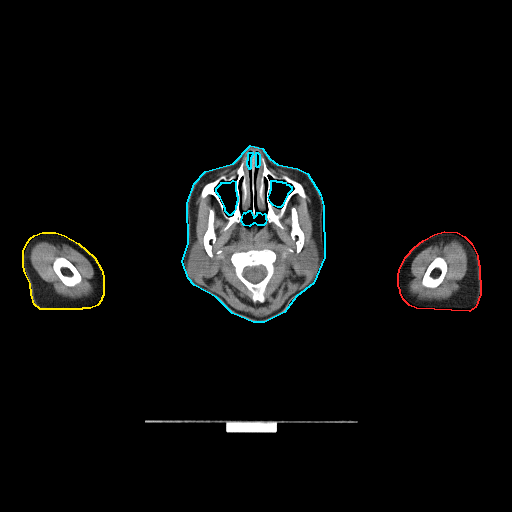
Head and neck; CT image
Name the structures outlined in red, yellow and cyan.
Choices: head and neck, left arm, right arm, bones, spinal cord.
red: left arm; yellow: right arm; cyan: head and neck.
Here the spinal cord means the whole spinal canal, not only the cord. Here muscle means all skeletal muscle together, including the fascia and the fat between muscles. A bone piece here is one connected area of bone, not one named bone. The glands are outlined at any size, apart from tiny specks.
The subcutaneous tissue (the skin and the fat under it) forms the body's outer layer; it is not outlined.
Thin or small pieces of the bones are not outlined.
{"left_arm":[[[444,231],[457,232],[464,236],[471,243],[477,255],[478,264],[479,265],[480,294],[475,307],[469,311],[416,308],[409,305],[404,300],[400,293],[400,290],[398,285],[398,274],[400,267],[406,256],[414,247],[423,240],[434,234]]],"right_arm":[[[42,232],[55,232],[64,235],[78,243],[94,257],[101,269],[103,276],[103,295],[101,298],[101,300],[97,305],[90,308],[82,308],[81,309],[40,309],[34,304],[31,294],[30,283],[25,273],[23,266],[23,251],[27,242],[30,238],[34,235]]],"head_and_neck":[{"outer":[[250,145],[262,148],[269,158],[277,164],[297,168],[307,173],[320,194],[323,206],[324,257],[313,283],[296,296],[284,312],[264,322],[253,322],[232,313],[216,297],[194,285],[188,278],[182,261],[188,243],[187,203],[194,183],[205,171],[233,163]],"holes":[[[233,180],[235,181],[235,190],[236,191],[236,195],[237,196],[237,201],[236,202],[236,205],[235,206],[235,208],[233,212],[230,215],[229,215],[225,211],[225,208],[224,207],[224,205],[220,197],[216,192],[216,188],[221,183],[221,182],[230,182]],[[271,180],[275,180],[276,181],[281,181],[282,182],[285,182],[286,184],[288,184],[290,186],[291,186],[291,190],[287,194],[282,205],[280,207],[277,207],[273,205],[271,203],[268,197],[270,193],[270,190],[271,189]],[[249,210],[250,210],[253,217],[254,217],[257,214],[257,212],[259,212],[262,214],[264,213],[265,214],[265,218],[266,219],[265,223],[263,225],[258,225],[255,223],[253,223],[249,226],[244,225],[241,221],[242,216],[244,212],[245,213]],[[249,152],[252,152],[252,155],[251,156],[251,157],[250,158],[250,168],[249,169],[249,168],[248,167],[248,166],[247,165],[247,160],[248,159],[248,153]],[[256,152],[257,152],[259,154],[259,165],[258,166],[258,167],[257,167],[256,166],[256,155],[255,154],[256,153]]]}],"bones":[{"outer":[[253,152],[255,152],[255,166],[257,168],[260,165],[261,155],[267,167],[278,177],[285,175],[299,182],[306,197],[303,198],[295,193],[289,199],[284,214],[280,219],[282,228],[274,222],[267,222],[264,212],[257,211],[253,216],[249,209],[242,213],[240,222],[234,222],[225,229],[228,221],[224,217],[217,200],[211,194],[201,198],[201,190],[208,182],[222,175],[229,177],[233,174],[246,155],[246,165],[249,170]],"holes":[[[233,180],[235,181],[235,190],[236,191],[236,195],[237,196],[237,201],[236,202],[236,205],[235,206],[235,208],[233,212],[230,215],[229,215],[225,211],[225,208],[224,207],[224,205],[220,197],[216,192],[216,188],[221,183],[221,182],[230,182]],[[271,180],[275,180],[276,181],[281,181],[282,182],[285,182],[286,184],[288,184],[290,186],[291,186],[291,190],[287,194],[282,205],[280,207],[277,207],[273,205],[271,203],[268,197],[270,193],[270,190],[271,189]]]},{"outer":[[264,248],[271,249],[276,254],[275,271],[273,276],[265,288],[264,301],[263,302],[260,302],[259,301],[255,301],[254,302],[250,296],[250,292],[248,289],[235,276],[234,269],[231,264],[230,258],[231,255],[236,251],[247,251],[251,249],[259,250]],"hole":[[259,265],[262,265],[263,266],[264,266],[264,267],[266,270],[266,275],[260,281],[259,281],[256,283],[253,283],[252,282],[249,281],[247,279],[246,279],[243,276],[243,270],[245,267],[246,267],[247,266],[252,267],[253,266],[258,266]]},[[57,257],[64,257],[73,264],[73,265],[76,268],[76,269],[78,271],[78,272],[81,276],[81,281],[78,284],[77,284],[74,286],[68,286],[67,285],[64,284],[62,282],[62,281],[59,278],[59,277],[53,269],[53,262],[54,261],[54,260]],[[438,256],[440,256],[442,257],[445,260],[447,264],[447,270],[440,284],[439,284],[436,287],[434,288],[430,288],[429,287],[426,287],[422,284],[422,279],[423,278],[423,276],[428,266],[430,264],[430,263],[436,257]],[[293,207],[295,208],[297,212],[297,218],[298,219],[298,223],[299,224],[299,226],[300,228],[302,230],[304,234],[304,243],[303,244],[303,246],[301,250],[298,253],[296,252],[296,249],[297,248],[296,246],[296,241],[292,237],[291,235],[291,209]],[[210,209],[212,209],[214,212],[214,215],[213,216],[213,226],[215,232],[215,241],[213,243],[211,249],[213,255],[212,257],[210,257],[208,255],[203,245],[203,237],[207,229],[207,226],[208,225],[208,218],[209,217],[209,210]]],"parotid_glands":[[[312,238],[314,239],[316,243],[316,245],[317,246],[317,249],[318,250],[318,260],[317,261],[317,263],[316,264],[315,269],[313,272],[313,274],[311,273],[306,273],[302,268],[302,266],[299,263],[299,255],[306,248],[308,244],[308,242]],[[195,241],[196,241],[199,244],[199,247],[204,255],[204,266],[202,268],[201,273],[196,278],[195,280],[193,276],[190,273],[190,271],[188,267],[188,259],[189,258],[189,255],[190,254],[190,250],[192,247],[192,245]]],"muscle":[{"outer":[[268,167],[296,176],[310,192],[313,237],[298,255],[298,263],[312,276],[277,310],[258,317],[235,309],[215,291],[196,281],[205,266],[205,255],[196,240],[195,201],[202,184],[222,171],[235,169],[229,176],[222,174],[205,183],[199,194],[201,199],[208,195],[214,197],[227,221],[224,229],[241,222],[246,227],[274,223],[282,229],[281,219],[290,199],[295,194],[303,199],[307,195],[299,181],[285,174],[278,176]],"holes":[[[264,248],[271,249],[276,254],[275,271],[273,276],[265,288],[264,301],[263,302],[260,302],[259,301],[255,301],[254,302],[250,296],[250,292],[248,289],[235,276],[234,269],[231,264],[230,258],[231,255],[236,251],[247,251],[251,249],[259,250]],[[293,207],[295,208],[297,212],[297,218],[298,219],[298,223],[299,224],[299,226],[300,228],[302,230],[304,234],[304,243],[303,244],[303,246],[301,250],[298,253],[296,252],[296,249],[297,248],[296,246],[296,241],[292,237],[291,235],[291,209]],[[210,209],[212,209],[214,212],[214,215],[213,216],[213,226],[215,232],[215,241],[213,243],[211,249],[213,255],[212,257],[210,257],[208,255],[203,245],[203,237],[207,229],[207,226],[208,225],[208,218],[209,217],[209,210]]]},{"outer":[[453,239],[459,241],[463,245],[467,253],[468,259],[467,271],[463,278],[463,282],[460,286],[460,289],[449,298],[441,300],[435,299],[422,300],[410,294],[407,286],[411,276],[410,272],[411,263],[415,256],[423,249],[430,245],[438,244],[441,241]],"hole":[[438,256],[440,256],[442,257],[445,260],[447,264],[447,270],[440,284],[439,284],[436,287],[434,288],[430,288],[429,287],[426,287],[422,284],[422,279],[423,278],[423,276],[428,266],[430,264],[430,263],[436,257]]},{"outer":[[38,241],[59,242],[61,244],[62,243],[65,243],[81,253],[90,262],[94,270],[94,286],[93,287],[94,291],[93,293],[89,296],[86,296],[81,298],[70,298],[57,294],[53,288],[39,276],[31,263],[30,260],[30,251],[33,245]],"hole":[[57,257],[64,257],[73,264],[73,265],[76,268],[76,269],[78,271],[78,272],[81,276],[81,281],[78,284],[77,284],[74,286],[68,286],[67,285],[64,284],[62,282],[62,281],[59,278],[59,277],[53,269],[53,262],[54,261],[54,260]]}],"spinal_cord":[[[259,265],[262,265],[263,266],[264,266],[264,267],[266,270],[266,275],[260,281],[259,281],[256,283],[253,283],[252,282],[249,281],[247,279],[246,279],[243,276],[243,270],[245,267],[246,267],[247,266],[252,267],[253,266],[258,266]]]}